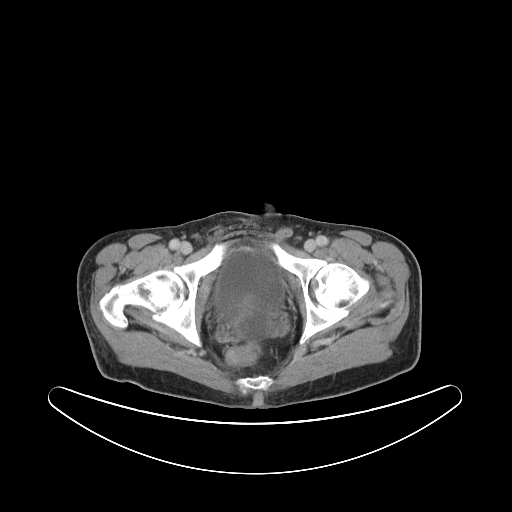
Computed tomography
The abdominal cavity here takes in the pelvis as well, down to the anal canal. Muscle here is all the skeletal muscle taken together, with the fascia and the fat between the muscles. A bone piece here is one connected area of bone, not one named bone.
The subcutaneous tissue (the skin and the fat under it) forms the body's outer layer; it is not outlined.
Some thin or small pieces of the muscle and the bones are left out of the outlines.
The abdominal cavity is outlined by (243, 240) (268, 244) (275, 256) (276, 263) (281, 267) (283, 276) (288, 281) (291, 295) (298, 305) (302, 331) (298, 341) (288, 349) (284, 358) (273, 369) (266, 374) (240, 377) (227, 369) (213, 348) (205, 343) (202, 319) (208, 307) (212, 272) (220, 266) (230, 247). The torso is outlined by (262, 202) (275, 203) (281, 213) (381, 229) (411, 249) (421, 270) (422, 301) (421, 350) (414, 367) (351, 393) (268, 409) (229, 408) (152, 392) (130, 382) (102, 376) (83, 328) (76, 297) (77, 268) (88, 247) (103, 235) (126, 228) (175, 225) (223, 211) (259, 213). The muscle appears in 2 outlined pieces: piece 1: (251, 229) (275, 233) (296, 246) (314, 235) (337, 230) (359, 230) (394, 244) (405, 255) (411, 270) (409, 313) (397, 337) (393, 358) (252, 397) (232, 397) (172, 372) (120, 363) (94, 323) (89, 307) (91, 274) (99, 247) (140, 233) (167, 235) (203, 246) (214, 237); inner edge: (233, 239) (275, 241) (295, 256) (344, 263) (370, 284) (346, 316) (288, 349) (266, 374) (274, 380) (267, 389) (244, 395) (235, 382) (240, 376) (204, 341) (211, 272) (199, 279) (195, 296) (201, 347) (143, 306) (124, 307) (125, 328) (99, 307) (114, 285) (196, 261); piece 2: (282, 268) (284, 268) (290, 273) (295, 275) (299, 280) (299, 283) (302, 291) (302, 296) (304, 301) (304, 307) (305, 308) (305, 321) (302, 329) (302, 316) (300, 312) (300, 308) (298, 303) (295, 300) (294, 296) (292, 295) (292, 291) (289, 286) (289, 281) (284, 276). The bones appear in 3 outlined pieces: piece 1: (233, 239) (235, 242) (219, 266) (198, 281) (194, 312) (201, 347) (154, 320) (152, 312) (143, 306) (128, 304) (124, 307) (128, 323) (125, 328) (113, 326) (104, 317) (99, 301) (114, 285) (129, 282) (158, 269) (171, 270) (174, 266) (196, 261) (206, 255) (216, 243); piece 2: (271, 241) (277, 242) (287, 252) (295, 256) (344, 263) (369, 281) (369, 289) (349, 307) (349, 312) (346, 316) (313, 334) (303, 345) (300, 345) (299, 339) (306, 321) (306, 308) (302, 287) (299, 278) (295, 274) (277, 263) (276, 256) (269, 244) (266, 243); piece 3: (259, 375) (267, 375) (269, 377) (272, 378) (274, 380) (273, 383) (267, 389) (265, 390) (263, 389) (251, 389) (250, 388) (247, 390) (247, 393) (244, 395) (242, 393) (239, 386) (235, 382) (235, 381) (238, 378) (243, 378) (244, 377) (255, 377).